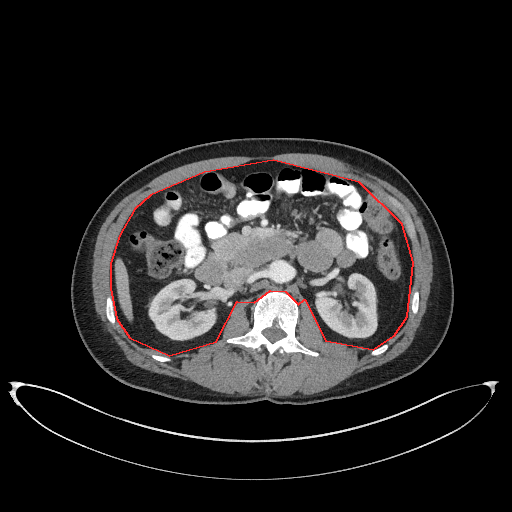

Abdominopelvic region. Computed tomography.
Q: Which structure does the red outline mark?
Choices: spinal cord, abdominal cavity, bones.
A: red: abdominal cavity.
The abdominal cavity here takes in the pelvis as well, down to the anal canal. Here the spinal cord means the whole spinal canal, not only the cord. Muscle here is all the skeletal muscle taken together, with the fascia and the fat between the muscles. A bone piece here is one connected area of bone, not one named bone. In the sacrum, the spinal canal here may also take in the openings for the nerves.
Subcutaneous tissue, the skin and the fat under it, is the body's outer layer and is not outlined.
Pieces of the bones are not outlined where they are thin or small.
Outlines:
abdominal cavity: 169 355; 216 341; 237 301; 254 302; 270 290; 285 291; 298 304; 304 299; 325 340; 373 349; 394 335; 407 316; 413 262; 402 224; 359 182; 273 160; 204 172; 150 195; 134 209; 119 235; 110 263; 110 288; 116 318; 129 337
torso: 296 405; 350 397; 385 386; 416 371; 438 349; 452 316; 453 276; 443 236; 422 197; 395 166; 380 156; 313 138; 250 137; 206 142; 166 154; 132 173; 93 214; 73 265; 72 313; 90 355; 118 381; 181 401; 239 404; 268 400
muscle: 292 397; 301 397; 307 395; 312 395; 313 393; 316 393; 328 389; 356 373; 372 367; 381 365; 393 359; 404 352; 411 344; 415 336; 415 333; 420 325; 422 317; 426 309; 428 296; 430 292; 430 285; 433 276; 433 259; 432 258; 432 253; 430 248; 428 236; 422 223; 422 220; 418 215; 415 207; 409 199; 393 185; 375 175; 367 172; 364 172; 343 161; 338 160; 335 158; 319 154; 311 154; 310 153; 284 153; 273 156; 252 156; 251 157; 248 156; 227 156; 226 157; 218 157; 217 158; 201 160; 185 164; 169 170; 157 176; 145 185; 124 197; 108 214; 99 229; 96 237; 94 250; 93 251; 92 273; 91 274; 91 286; 92 287; 92 294; 93 295; 93 301; 94 302; 95 310; 99 316; 101 323; 103 325; 106 333; 112 339; 116 346; 122 353; 123 356; 131 363; 141 368; 156 373; 165 374; 169 376; 180 378; 183 380; 189 380; 204 387; 219 392; 233 394; 238 396; 264 394; 265 393; 274 396; 291 396; inner edges: 269 356; 318 355; 295 336; 302 299; 325 340; 384 352; 408 302; 414 314; 419 305; 418 291; 409 298; 402 224; 359 182; 273 160; 204 172; 144 199; 112 254; 107 319; 174 355; 219 339; 232 306; 250 298; 252 327; 226 341, then 412 239; 413 238; 415 238; 416 237; 416 232; 415 231; 415 229; 414 228; 414 226; 412 223; 412 221; 411 220; 410 217; 407 214; 407 218; 408 219; 408 221; 409 222; 409 229; 408 230; 408 234; 409 235; 409 236, then 161 362; 165 362; 166 361; 170 361; 171 360; 171 359; 169 357; 168 357; 167 356; 163 356; 162 355; 157 355; 156 354; 152 354; 151 355; 151 356; 154 359; 155 359; 156 360; 157 360; 158 361; 160 361, then 401 208; 402 208; 402 205; 396 199; 395 199; 393 197; 391 197; 390 196; 390 198; 394 202; 394 203; 395 203; 396 204; 396 205; 397 205; 399 207; 400 207
bones 1: 269 356; 279 348; 282 348; 286 353; 302 352; 314 356; 318 355; 317 352; 306 348; 297 340; 295 327; 299 315; 298 305; 292 296; 282 291; 261 294; 254 303; 252 327; 245 334; 228 338; 226 341; 253 349; 263 346; 268 351 with a hole at 271 342; 274 342; 276 340; 277 340; 278 339; 279 339; 280 338; 283 337; 285 335; 284 332; 281 329; 280 329; 279 328; 277 328; 274 326; 273 326; 270 328; 266 328; 265 329; 264 329; 262 332; 263 333; 263 334
bones 2: 112 324; 113 324; 115 322; 115 309; 114 308; 114 305; 113 304; 113 299; 112 298; 112 297; 111 296; 111 295; 109 295; 107 297; 107 298; 106 299; 106 308; 105 309; 105 311; 106 312; 106 317; 107 318; 107 319
bones 3: 414 314; 416 314; 417 313; 417 312; 418 311; 418 306; 419 305; 419 293; 418 292; 418 291; 417 291; 416 290; 415 290; 414 291; 413 291; 413 293; 412 294; 412 296; 410 299; 410 303; 411 304; 411 309; 412 310; 412 311
bones 4: 412 239; 413 238; 415 238; 416 237; 416 232; 415 231; 415 229; 414 228; 414 226; 412 223; 412 221; 411 220; 410 217; 407 214; 407 218; 408 219; 408 221; 409 222; 409 229; 408 230; 408 234; 409 235; 409 236
bones 5: 372 355; 378 355; 379 354; 380 354; 381 353; 384 352; 387 349; 387 348; 388 347; 388 345; 386 343; 384 343; 383 344; 382 344; 380 346; 379 346; 378 347; 375 348; 373 350; 372 350; 372 351; 371 352; 371 354
bones 6: 401 208; 402 208; 402 205; 396 199; 395 199; 393 197; 391 197; 390 196; 390 198; 394 202; 394 203; 395 203; 396 204; 396 205; 397 205; 399 207; 400 207
spinal cord: 271 342; 274 342; 276 340; 277 340; 278 339; 279 339; 280 338; 283 337; 285 335; 284 332; 281 329; 280 329; 279 328; 277 328; 274 326; 273 326; 270 328; 266 328; 265 329; 264 329; 262 332; 263 333; 263 334